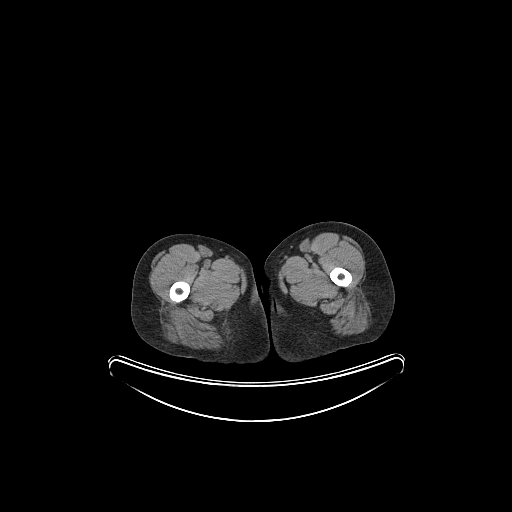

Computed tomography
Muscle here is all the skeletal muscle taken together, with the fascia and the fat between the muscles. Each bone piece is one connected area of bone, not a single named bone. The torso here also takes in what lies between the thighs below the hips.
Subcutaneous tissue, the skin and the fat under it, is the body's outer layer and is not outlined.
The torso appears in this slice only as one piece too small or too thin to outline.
{"bones":[[[178,280],[179,281],[186,281],[190,285],[190,291],[189,292],[189,294],[188,295],[188,296],[184,300],[183,300],[180,302],[174,302],[173,301],[172,301],[170,299],[170,297],[169,296],[169,289],[170,288],[170,286],[174,282],[175,282]],[[336,266],[339,266],[340,267],[342,267],[350,272],[350,273],[352,276],[352,280],[348,286],[347,286],[346,287],[343,287],[342,286],[339,286],[335,283],[334,283],[331,280],[331,279],[329,276],[329,273],[330,272],[330,271],[334,267],[335,267]]],"left_leg":[[[321,221],[340,221],[352,224],[366,232],[377,243],[393,281],[395,290],[394,309],[387,328],[376,340],[340,349],[302,362],[291,363],[282,360],[277,355],[271,341],[270,310],[267,297],[268,281],[263,271],[264,263],[270,252],[288,235],[306,225]]],"right_leg":[[[176,233],[192,233],[216,238],[234,246],[248,257],[256,279],[257,290],[267,320],[267,329],[271,342],[268,356],[264,360],[249,364],[202,362],[191,358],[166,354],[147,344],[137,334],[130,315],[132,281],[135,268],[139,259],[150,245],[162,237]]],"muscle":[{"outer":[[179,242],[205,242],[213,248],[226,253],[238,260],[245,269],[247,276],[247,287],[228,312],[225,345],[224,348],[220,351],[202,350],[178,346],[165,340],[161,335],[161,325],[159,322],[158,311],[160,302],[149,285],[148,263],[157,253],[165,247]],"hole":[[178,280],[179,281],[186,281],[190,285],[190,291],[189,292],[189,294],[188,295],[188,296],[184,300],[183,300],[180,302],[174,302],[173,301],[172,301],[170,299],[170,297],[169,296],[169,289],[170,288],[170,286],[174,282],[175,282]]},{"outer":[[324,230],[333,230],[347,235],[360,243],[363,249],[363,255],[365,260],[364,288],[368,296],[374,316],[374,321],[367,330],[351,337],[335,337],[330,334],[318,322],[287,297],[281,291],[279,286],[278,272],[285,256],[296,241],[311,232],[319,232]],"hole":[[336,266],[339,266],[340,267],[342,267],[350,272],[350,273],[352,276],[352,280],[348,286],[347,286],[346,287],[343,287],[342,286],[339,286],[335,283],[334,283],[331,280],[331,279],[329,276],[329,273],[330,272],[330,271],[334,267],[335,267]]}]}